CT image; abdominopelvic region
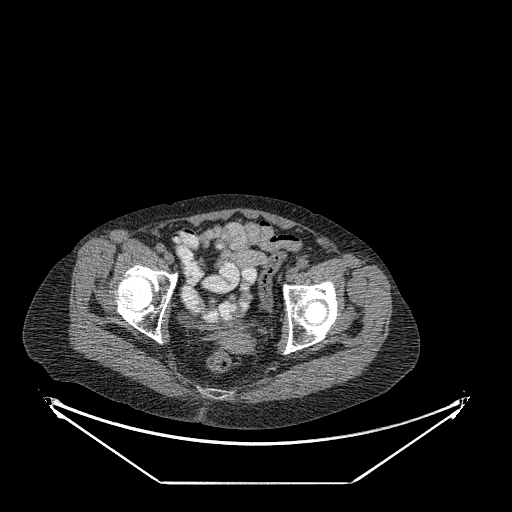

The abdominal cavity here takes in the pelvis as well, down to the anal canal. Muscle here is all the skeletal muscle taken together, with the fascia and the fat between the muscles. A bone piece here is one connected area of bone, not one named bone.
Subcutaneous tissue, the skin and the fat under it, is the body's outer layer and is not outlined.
muscle: 239 206; 263 209; 328 234; 343 249; 372 259; 383 271; 390 282; 392 297; 388 335; 375 358; 360 375; 302 397; 247 405; 224 401; 203 403; 167 397; 70 347; 67 329; 71 274; 78 250; 91 237; 115 227; 135 228; 168 218; inner edges: 237 213; 315 237; 323 259; 292 283; 331 280; 338 315; 321 341; 283 355; 284 309; 270 361; 234 383; 207 384; 184 369; 170 342; 172 301; 162 317; 159 344; 117 312; 114 290; 135 264; 174 271; 152 246; 164 227; 197 226, then 197 385; 199 385; 203 388; 219 388; 220 389; 224 389; 227 391; 230 391; 232 390; 234 391; 234 393; 227 399; 215 399; 214 398; 211 398; 210 397; 208 397; 202 394; 200 392; 199 392; 196 387
abdominal cavity: 237 213; 250 219; 264 218; 283 230; 312 234; 324 253; 323 259; 296 276; 292 283; 282 284; 282 326; 272 359; 234 383; 207 384; 184 369; 170 342; 171 299; 179 273; 152 244; 164 227; 174 223; 197 226; 207 220; 227 220
torso: 217 193; 262 195; 298 204; 334 221; 370 246; 388 268; 417 324; 420 354; 414 368; 389 390; 369 400; 296 425; 253 430; 156 416; 108 399; 80 384; 51 378; 27 356; 21 332; 31 299; 52 266; 87 233; 111 219; 157 204
bones 1: 135 264; 140 264; 154 270; 158 269; 168 272; 177 272; 178 273; 175 287; 162 317; 160 329; 162 338; 164 341; 163 344; 159 344; 147 335; 136 329; 117 312; 116 309; 117 305; 115 302; 114 290; 116 288; 117 283; 125 271
bones 2: 325 280; 331 280; 335 287; 338 315; 336 317; 334 323; 330 327; 325 337; 321 341; 319 341; 310 346; 283 355; 282 352; 286 345; 288 337; 288 320; 282 291; 283 284; 286 283; 287 284; 305 284; 309 285; 310 284; 316 284
bones 3: 197 385; 199 385; 203 388; 219 388; 220 389; 224 389; 227 391; 230 391; 232 390; 234 391; 234 393; 227 399; 215 399; 214 398; 211 398; 210 397; 208 397; 202 394; 200 392; 199 392; 196 387